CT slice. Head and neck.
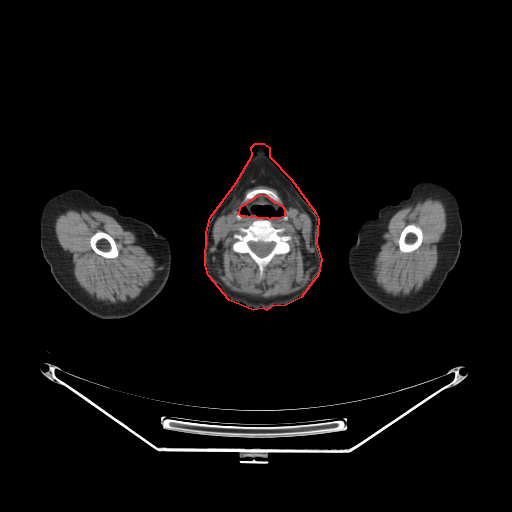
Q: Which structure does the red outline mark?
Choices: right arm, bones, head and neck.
A: red: head and neck.
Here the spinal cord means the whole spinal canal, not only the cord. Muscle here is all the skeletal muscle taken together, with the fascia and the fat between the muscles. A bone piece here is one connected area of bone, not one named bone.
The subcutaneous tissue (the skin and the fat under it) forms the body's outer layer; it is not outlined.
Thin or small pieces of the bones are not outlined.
{"head_and_neck":[{"outer":[[255,143],[263,143],[269,147],[269,156],[291,179],[315,212],[318,218],[316,243],[321,259],[318,274],[301,297],[285,305],[272,306],[266,310],[262,308],[253,310],[229,300],[208,275],[205,265],[206,232],[210,217],[236,182],[252,155],[251,147]],"hole":[[259,194],[266,195],[274,202],[278,203],[282,206],[284,209],[284,213],[285,214],[284,216],[279,218],[271,218],[270,219],[268,218],[257,218],[255,216],[253,217],[252,216],[248,217],[247,216],[246,217],[245,216],[241,216],[239,214],[240,207]]}],"bones":[{"outer":[[257,219],[268,219],[275,228],[284,228],[284,232],[291,237],[288,241],[289,251],[285,254],[276,254],[266,266],[262,278],[259,275],[259,271],[254,260],[247,253],[238,253],[232,248],[232,245],[236,240],[234,235],[239,231],[239,229],[246,228]],"hole":[[250,242],[264,242],[265,243],[268,243],[269,242],[272,242],[273,243],[273,247],[272,248],[272,249],[269,252],[269,253],[268,253],[266,255],[265,255],[264,256],[260,256],[259,255],[258,255],[257,254],[256,254],[252,250],[252,249],[250,246]]},[[99,230],[101,231],[103,231],[107,233],[113,238],[113,239],[116,243],[116,246],[118,249],[118,256],[117,257],[115,258],[105,258],[101,255],[96,253],[92,249],[90,245],[90,242],[89,241],[90,240],[90,238],[93,234],[94,234],[97,231]],[[411,223],[413,224],[415,224],[421,229],[422,231],[422,233],[423,234],[422,241],[420,245],[413,251],[411,251],[410,252],[402,252],[400,251],[399,249],[399,247],[398,246],[398,241],[399,240],[400,235],[403,229],[405,227],[405,226]],[[254,189],[268,189],[269,190],[271,190],[273,191],[278,196],[280,200],[280,202],[279,203],[278,202],[276,202],[274,201],[264,193],[259,193],[257,194],[253,198],[250,199],[246,202],[244,202],[244,198],[246,194],[248,192]]],"right_arm":[[[72,188],[81,189],[103,204],[115,207],[122,215],[131,216],[148,223],[158,233],[163,234],[169,242],[171,266],[163,289],[150,302],[127,317],[101,319],[88,313],[58,285],[50,271],[49,265],[43,257],[40,246],[39,226],[42,209],[51,197]]],"muscle":[{"outer":[[261,168],[277,179],[279,183],[299,203],[302,209],[310,216],[312,223],[312,240],[317,254],[314,270],[303,287],[287,295],[278,295],[267,298],[235,292],[228,288],[215,276],[209,258],[209,245],[214,222],[222,213],[223,209],[239,193],[248,178]],"hole":[[254,189],[268,189],[278,196],[287,218],[269,220],[275,228],[284,228],[291,237],[289,251],[276,254],[266,266],[262,278],[254,260],[247,253],[238,253],[232,248],[236,240],[234,235],[239,229],[257,219],[255,216],[236,217],[246,203],[246,194]]},{"outer":[[78,207],[95,208],[113,217],[125,230],[133,232],[137,237],[137,243],[142,246],[156,262],[165,264],[165,269],[162,275],[138,296],[124,304],[105,304],[91,297],[76,280],[70,255],[59,244],[54,228],[55,218],[58,214],[69,208],[73,209]],"hole":[[99,230],[101,231],[103,231],[107,233],[113,238],[113,239],[116,243],[116,246],[118,249],[118,256],[117,257],[115,258],[105,258],[101,255],[96,253],[92,249],[90,245],[90,242],[89,241],[90,240],[90,238],[93,234],[94,234],[97,231]]},{"outer":[[429,196],[440,199],[446,209],[446,228],[440,240],[440,254],[436,267],[430,278],[418,291],[411,291],[407,295],[387,293],[377,285],[371,273],[371,266],[377,255],[381,233],[387,226],[390,218],[397,211],[409,204],[414,204],[420,198],[423,199]],"hole":[[411,223],[413,224],[415,224],[421,229],[422,231],[422,233],[423,234],[422,241],[420,245],[413,251],[411,251],[410,252],[402,252],[400,251],[399,249],[399,247],[398,246],[398,241],[399,240],[400,235],[403,229],[405,227],[405,226]]}],"spinal_cord":[[[250,242],[264,242],[265,243],[268,243],[269,242],[272,242],[273,243],[273,247],[272,248],[272,249],[269,252],[269,253],[268,253],[266,255],[265,255],[264,256],[260,256],[259,255],[258,255],[257,254],[256,254],[252,250],[252,249],[250,246]]],"left_arm":[[[422,181],[440,184],[455,195],[462,221],[461,248],[454,267],[448,273],[434,299],[420,311],[400,314],[382,307],[358,286],[350,273],[347,253],[349,247],[356,241],[358,231],[366,220],[376,218],[381,208],[389,204],[396,204],[408,196],[413,186]]]}